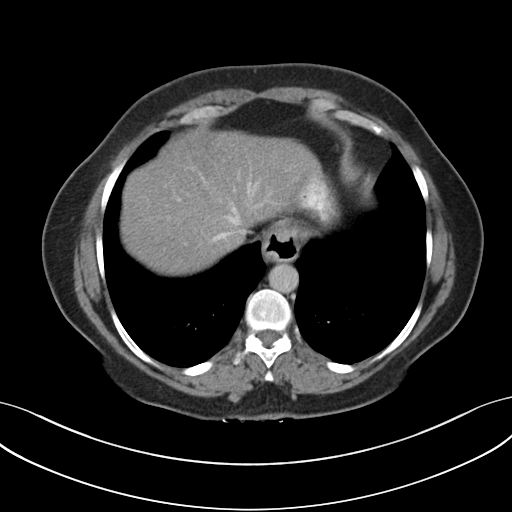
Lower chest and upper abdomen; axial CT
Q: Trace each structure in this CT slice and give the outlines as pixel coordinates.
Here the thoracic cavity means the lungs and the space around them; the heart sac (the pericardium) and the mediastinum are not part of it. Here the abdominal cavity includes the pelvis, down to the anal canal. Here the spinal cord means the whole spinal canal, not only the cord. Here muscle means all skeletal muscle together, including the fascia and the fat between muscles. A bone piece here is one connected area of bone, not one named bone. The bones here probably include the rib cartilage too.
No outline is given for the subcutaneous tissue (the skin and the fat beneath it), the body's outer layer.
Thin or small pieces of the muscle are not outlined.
A: The abdominal cavity is outlined by 258,98 308,104 339,124 351,136 354,160 371,167 378,176 373,189 379,209 358,234 310,239 295,262 265,263 257,240 190,277 151,273 132,259 119,241 118,218 126,176 156,153 169,136 167,129 227,114. The spinal cord is outlined by 267,329 269,330 274,330 279,333 279,337 277,339 276,339 271,344 271,346 269,347 267,347 265,346 263,344 262,341 258,337 257,335 259,331 261,331 262,330 266,330. The bones appear in 11 outlined pieces: piece 1: 264,288 280,293 287,300 302,338 299,342 292,330 288,331 291,348 279,354 271,365 273,376 271,382 265,380 267,368 256,353 247,353 237,364 232,362 236,352 244,348 247,335 244,324 247,299 250,294 with a hole at 267,329 269,330 274,330 279,333 279,337 277,339 276,339 271,344 271,346 269,347 267,347 265,346 263,344 262,341 258,337 257,335 259,331 261,331 262,330 266,330; piece 2: 319,98 331,99 337,104 338,108 351,111 373,121 384,129 386,133 385,136 382,137 376,135 373,132 361,126 354,125 346,121 340,120 333,116 332,110 317,111 313,107 311,106 309,107 309,104 313,100; piece 3: 419,301 421,301 422,303 421,311 416,322 414,324 411,331 406,337 406,338 395,349 385,355 382,358 378,360 376,360 373,362 370,362 370,360 376,354 379,353 382,350 383,350 398,335 410,318; piece 4: 111,308 113,308 114,309 117,315 117,317 119,319 121,324 134,342 146,354 151,357 159,365 160,368 155,367 153,365 142,360 126,345 121,338 114,325 114,323 112,320 112,318 110,314 110,309; piece 5: 206,105 220,105 221,106 223,106 226,108 227,110 227,113 225,113 221,115 218,115 215,117 201,118 195,121 193,121 191,123 179,124 178,121 184,114 187,113 190,110 196,107 201,107 202,106 205,106; piece 6: 125,159 126,159 126,162 123,166 120,173 118,175 116,181 112,188 112,190 110,193 110,195 108,198 105,207 105,210 104,212 102,212 101,211 101,197 103,192 103,188 105,185 107,178 113,169; piece 7: 412,165 417,165 420,168 422,172 422,174 425,179 425,181 427,185 427,191 428,192 428,199 427,200 427,202 424,202 421,192 418,187 418,185 416,182 416,180 414,177 414,175 411,169 411,166; piece 8: 98,232 100,232 102,234 102,247 103,248 103,265 104,266 104,273 105,274 105,282 103,282 103,281 102,280 102,278 100,275 100,272 99,271 99,267 98,266 98,262 97,261 97,255 96,254 96,235; piece 9: 209,359 211,359 212,360 213,362 213,364 212,366 207,371 203,373 198,374 197,375 186,375 182,373 182,369 183,368 185,368 186,367 189,367 190,366 193,366 194,365 196,365 199,363 201,363; piece 10: 328,360 331,360 334,362 336,362 337,363 341,363 342,364 351,364 352,365 353,365 355,367 355,369 350,372 347,372 346,373 338,373 337,372 335,372 334,371 332,371 331,370 330,370 326,366 326,362; piece 11: 427,228 430,228 431,229 431,232 432,233 432,250 431,251 431,260 430,261 430,264 429,265 429,267 428,268 426,268 426,229. The mediastinum appears in 2 outlined pieces: piece 1: 318,112 324,112 329,116 331,116 340,121 346,122 354,126 361,127 373,133 376,136 383,138 387,142 390,148 390,156 378,175 376,171 371,166 365,163 357,162 355,160 354,158 354,145 352,136 335,120; piece 2: 275,263 295,263 295,267 298,272 298,275 299,276 299,283 298,284 297,291 294,299 293,309 291,307 290,303 288,300 280,292 274,289 264,287 251,293 262,279 266,271 266,265 265,264 274,264. The muscle is outlined by 276,86 300,86 301,87 310,87 311,88 317,88 318,89 325,89 337,93 356,107 377,115 393,127 410,144 425,166 441,196 449,220 449,223 454,240 455,254 456,255 456,272 455,273 453,285 444,304 419,335 400,353 396,355 385,366 364,381 362,381 358,384 354,385 349,388 340,391 333,392 324,396 313,397 312,398 297,398 295,400 293,400 287,396 279,387 275,385 272,384 260,384 237,402 232,402 231,403 214,402 210,400 207,400 202,396 190,395 176,389 174,389 172,387 168,386 161,381 153,377 151,377 141,371 129,361 117,353 98,332 95,326 87,317 86,314 80,306 74,290 73,253 75,246 77,228 81,219 82,214 84,211 85,206 87,203 88,198 114,156 126,143 131,140 144,127 169,109 186,100 188,100 200,94 212,90 224,89 225,88 245,88 256,92 259,92 268,88 275,87 with a hole at 258,98 292,104 331,99 338,108 381,126 386,133 383,139 397,148 410,168 417,165 425,179 425,228 431,229 432,250 418,299 421,311 395,349 373,362 372,355 353,363 355,369 350,372 330,370 326,366 330,359 303,339 299,342 290,329 291,348 276,357 270,367 273,381 266,381 266,365 256,353 247,353 237,364 232,362 244,348 247,329 242,324 209,358 213,364 207,371 186,375 182,367 155,359 158,368 142,360 126,345 112,320 110,309 114,306 96,254 96,235 103,233 104,222 101,197 109,174 151,135 178,126 190,110 220,105 229,113. The thoracic cavity appears in 2 outlined pieces: piece 1: 389,143 397,148 409,166 424,203 423,282 412,313 383,349 352,364 337,362 312,348 303,339 294,319 293,310 300,283 296,260 310,240 323,240 338,234 355,236 368,227 372,215 380,209 374,188 391,156; piece 2: 162,130 169,133 165,141 128,172 121,187 117,237 123,251 151,274 167,279 199,275 257,241 265,265 261,279 246,299 243,324 211,357 185,367 153,358 131,337 114,308 104,265 104,213 113,188 138,147. The torso is outlined by 278,62 357,71 387,86 411,108 468,186 481,216 483,255 469,305 457,325 413,363 395,391 345,412 297,420 216,422 136,400 109,379 97,351 66,320 52,296 41,258 50,205 70,173 144,93 204,68.